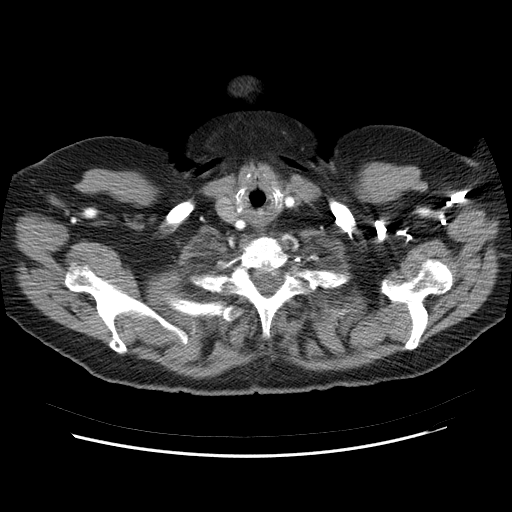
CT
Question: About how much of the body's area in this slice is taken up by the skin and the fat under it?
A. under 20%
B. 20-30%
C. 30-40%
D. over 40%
Answer: C. 30-40%
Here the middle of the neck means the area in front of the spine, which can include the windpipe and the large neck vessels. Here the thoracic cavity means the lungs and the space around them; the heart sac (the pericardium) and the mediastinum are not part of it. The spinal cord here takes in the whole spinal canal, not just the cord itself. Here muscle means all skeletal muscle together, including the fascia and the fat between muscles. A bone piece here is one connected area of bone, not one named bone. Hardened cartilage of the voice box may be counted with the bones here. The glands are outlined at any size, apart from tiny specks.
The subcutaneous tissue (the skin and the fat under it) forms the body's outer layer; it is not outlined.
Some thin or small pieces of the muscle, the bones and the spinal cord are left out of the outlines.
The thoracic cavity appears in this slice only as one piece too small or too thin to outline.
Outlined structures:
middle of the neck: (259, 173) (269, 178) (272, 201) (276, 206) (280, 206) (288, 194) (299, 200) (297, 207) (274, 223) (265, 235) (226, 229) (218, 221) (216, 211) (223, 220) (230, 223) (235, 214) (234, 199) (236, 211) (238, 213) (242, 211) (243, 196) (247, 188) (245, 183) (252, 174)
thyroid glands: (222, 198) (228, 198) (229, 199) (232, 199) (233, 200) (233, 213) (234, 214) (233, 215) (233, 218) (230, 222) (228, 222) (224, 219) (223, 219) (219, 215) (219, 214) (216, 210) (216, 208) (214, 206) (214, 205) (216, 203) (216, 202) (218, 200) (219, 200)
torso: (374, 123) (411, 127) (462, 154) (479, 134) (505, 199) (511, 272) (504, 317) (434, 370) (296, 393) (140, 389) (90, 374) (7, 315) (0, 239) (16, 170) (102, 135) (163, 147) (181, 170) (204, 164) (197, 173) (251, 155) (299, 167) (295, 162) (327, 159) (342, 133)
head and neck: (239, 72) (256, 74) (269, 85) (271, 95) (264, 97) (260, 106) (288, 114) (317, 134) (317, 151) (320, 155) (313, 163) (276, 159) (263, 154) (224, 157) (206, 163) (184, 157) (182, 144) (192, 130) (216, 114) (243, 105) (240, 101) (228, 99) (220, 93) (224, 81)
spinal cord: (262, 273) (265, 273) (266, 274) (268, 273) (272, 276) (278, 276) (281, 279) (281, 284) (278, 287) (275, 292) (268, 297) (264, 296) (259, 292) (257, 287) (254, 283) (254, 281) (252, 279) (252, 275) (253, 276) (254, 275) (255, 276) (258, 274) (261, 274)
muscle: (250, 157) (333, 194) (363, 163) (384, 161) (470, 195) (501, 216) (492, 292) (418, 347) (424, 300) (451, 289) (450, 267) (427, 258) (409, 280) (383, 278) (379, 291) (410, 317) (405, 350) (322, 372) (273, 362) (194, 379) (118, 355) (128, 351) (122, 314) (151, 318) (184, 345) (189, 335) (87, 264) (71, 263) (63, 283) (93, 297) (107, 345) (49, 319) (13, 273) (18, 216) (63, 222) (89, 200) (72, 185) (91, 168) (139, 171) (169, 196) with holes at (248, 173) (264, 174) (299, 200) (265, 233) (289, 260) (298, 257) (301, 269) (349, 276) (337, 287) (318, 286) (285, 302) (267, 339) (257, 310) (244, 297) (206, 290) (189, 278) (227, 272) (217, 262) (238, 256) (259, 236) (226, 229) (215, 213) (216, 202) (233, 200) and at (166, 294) (173, 295) (179, 298) (193, 300) (201, 303) (223, 300) (228, 303) (232, 303) (240, 307) (243, 310) (243, 312) (238, 317) (230, 322) (226, 321) (221, 316) (218, 315) (212, 315) (211, 316) (210, 315) (198, 315) (197, 316) (193, 316) (173, 309) (164, 299) and at (330, 199) (334, 199) (337, 201) (339, 201) (343, 203) (349, 209) (354, 219) (354, 224) (351, 230) (351, 237) (350, 237) (347, 234) (346, 234) (341, 229) (335, 217) (335, 215) (332, 212) (332, 211) (329, 207) (329, 205) (328, 204) (328, 201) and at (189, 199) (191, 200) (194, 203) (195, 205) (193, 210) (179, 224) (178, 224) (175, 227) (175, 226) (172, 224) (167, 224) (166, 223) (166, 220) (165, 218) (168, 212) (174, 206) (175, 206) (180, 202) (184, 200) (188, 200) and at (342, 308) (345, 308) (346, 309) (348, 309) (348, 311) (347, 312) (346, 312) (343, 315) (342, 315) (341, 316) (340, 315) (337, 315) (334, 312) (333, 312) (332, 311) (331, 311) (331, 310) (332, 309) (336, 309) (337, 310) (338, 310) (339, 309) (341, 309) and at (229, 233) (230, 233) (231, 234) (230, 235) (231, 236) (232, 236) (234, 238) (234, 239) (235, 240) (235, 241) (236, 242) (236, 244) (235, 245) (235, 246) (234, 246) (233, 247) (232, 247) (231, 246) (230, 246) (230, 245) (228, 243) (228, 235) (229, 234)
bones 1: (260, 236) (275, 238) (290, 261) (299, 258) (297, 264) (301, 269) (331, 270) (349, 276) (337, 287) (318, 286) (285, 302) (271, 320) (267, 339) (262, 335) (257, 310) (244, 297) (206, 290) (189, 278) (207, 272) (227, 272) (217, 262) (238, 256) (246, 244), around a hole outlined by (262, 273) (265, 273) (266, 274) (268, 273) (272, 276) (278, 276) (281, 279) (281, 284) (278, 287) (275, 292) (268, 297) (264, 296) (259, 292) (257, 287) (254, 283) (254, 281) (252, 279) (252, 275) (253, 276) (254, 275) (255, 276) (258, 274) (261, 274)
bones 2: (73, 263) (87, 265) (98, 277) (145, 303) (168, 322) (186, 332) (187, 343) (182, 343) (172, 331) (151, 317) (122, 313) (116, 316) (114, 324) (127, 351) (123, 354) (114, 351) (108, 345) (112, 333) (99, 315) (94, 297) (87, 292) (72, 291) (64, 283) (65, 274)
bones 3: (427, 259) (437, 259) (446, 264) (452, 273) (453, 283) (444, 293) (429, 294) (425, 297) (423, 304) (427, 311) (426, 327) (417, 347) (406, 350) (404, 345) (412, 328) (407, 305) (392, 302) (380, 291) (381, 282) (383, 279) (396, 283) (409, 281) (417, 275) (422, 263)
bones 4: (166, 294) (173, 295) (179, 298) (193, 300) (201, 303) (223, 300) (228, 303) (232, 303) (240, 307) (243, 310) (243, 312) (238, 317) (230, 322) (226, 321) (221, 316) (218, 315) (212, 315) (211, 316) (210, 315) (198, 315) (197, 316) (193, 316) (173, 309) (164, 299)
bones 5: (330, 199) (334, 199) (337, 201) (339, 201) (343, 203) (349, 209) (354, 219) (354, 224) (351, 230) (351, 237) (350, 237) (347, 234) (346, 234) (341, 229) (335, 217) (335, 215) (332, 212) (332, 211) (329, 207) (329, 205) (328, 204) (328, 201)
bones 6: (189, 199) (191, 200) (194, 203) (195, 205) (193, 210) (179, 224) (178, 224) (175, 227) (175, 226) (172, 224) (167, 224) (166, 223) (166, 220) (165, 218) (168, 212) (174, 206) (175, 206) (180, 202) (184, 200) (188, 200)
bones 7: (248, 173) (250, 173) (251, 174) (251, 176) (249, 178) (249, 179) (246, 180) (244, 183) (246, 188) (245, 189) (244, 194) (242, 196) (242, 209) (240, 212) (238, 212) (237, 211) (237, 206) (235, 203) (235, 197) (234, 196) (239, 188) (244, 183) (245, 177)
bones 8: (272, 182) (273, 182) (273, 183) (280, 190) (280, 191) (284, 195) (284, 198) (282, 200) (281, 203) (280, 203) (279, 204) (280, 205) (276, 205) (275, 204) (275, 203) (273, 201) (274, 200) (273, 199) (274, 198) (272, 195) (272, 189) (271, 188) (271, 187) (272, 186)